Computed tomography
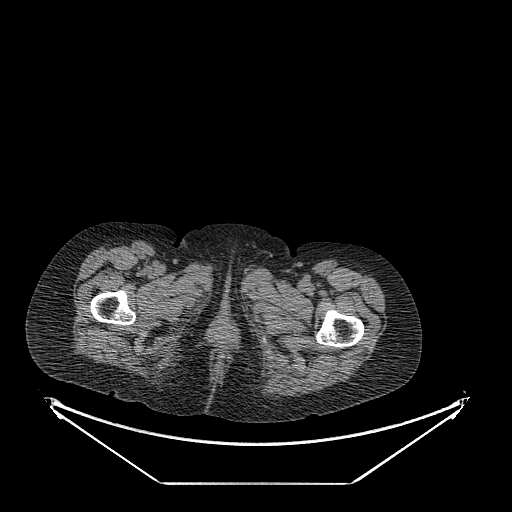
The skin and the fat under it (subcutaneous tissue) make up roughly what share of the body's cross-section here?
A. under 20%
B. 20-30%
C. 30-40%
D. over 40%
D. over 40%
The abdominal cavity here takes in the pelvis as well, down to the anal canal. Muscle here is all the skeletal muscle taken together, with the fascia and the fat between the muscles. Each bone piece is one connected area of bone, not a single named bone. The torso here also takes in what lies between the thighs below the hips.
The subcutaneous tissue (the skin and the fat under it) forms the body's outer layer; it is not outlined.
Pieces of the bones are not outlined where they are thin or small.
The left leg is outlined by 312 241; 340 242; 364 246; 382 255; 396 268; 407 284; 418 310; 422 330; 421 358; 419 365; 410 380; 401 387; 385 395; 335 412; 323 415; 315 415; 314 414; 303 419; 280 422; 281 420; 289 247; 293 253; 298 246. The torso is outlined by 223 222; 242 223; 262 228; 271 234; 281 238; 288 245; 281 400; 280 401; 280 420; 279 422; 276 423; 236 422; 224 418; 210 416; 205 414; 179 416; 154 411; 142 403; 179 239; 187 232; 193 229; 198 229; 207 224; 222 223. The muscle appears in 3 outlined pieces: piece 1: 325 258; 355 261; 366 267; 378 280; 385 294; 386 326; 377 341; 377 348; 371 358; 365 362; 361 371; 342 384; 297 398; 264 397; 259 392; 261 361; 234 282; 239 264; 240 262; 261 264; 284 277; 294 277; 301 274; 311 264, around a hole outlined by 329 309; 335 309; 340 313; 343 313; 348 315; 353 315; 362 320; 364 324; 364 333; 362 336; 362 338; 356 344; 348 347; 343 347; 341 348; 334 346; 324 346; 317 342; 315 338; 315 334; 321 325; 322 320; 325 315; 326 311; piece 2: 119 237; 144 238; 156 247; 169 268; 179 269; 201 260; 210 262; 213 268; 209 300; 187 337; 181 354; 169 370; 167 379; 161 385; 103 363; 94 363; 91 359; 73 354; 69 348; 68 333; 75 314; 72 288; 78 268; 94 248, around a hole outlined by 119 289; 123 289; 127 293; 128 304; 130 308; 136 314; 136 317; 134 322; 130 325; 124 325; 123 326; 118 324; 106 323; 105 322; 98 321; 90 312; 89 307; 90 306; 91 299; 93 296; 99 292; 115 291; piece 3: 219 309; 222 309; 224 311; 225 310; 229 311; 236 319; 237 323; 240 327; 239 344; 241 346; 238 348; 238 351; 234 360; 224 372; 221 386; 216 385; 210 379; 209 374; 210 350; 205 342; 204 338; 204 333; 208 322; 218 312 with a hole at 222 316; 226 316; 233 325; 233 327; 235 330; 235 339; 234 340; 234 343; 233 344; 233 348; 232 349; 232 351; 229 357; 219 369; 219 373; 217 371; 214 371; 215 347; 212 341; 210 339; 210 332; 211 331; 211 329; 213 325. The abdominal cavity is outlined by 222 316; 226 316; 233 325; 233 327; 235 330; 235 339; 234 340; 234 343; 233 344; 233 348; 232 349; 232 351; 229 357; 219 369; 219 373; 217 371; 214 371; 215 347; 212 341; 210 339; 210 332; 211 331; 211 329; 213 325. The right leg is outlined by 107 221; 125 221; 161 224; 173 230; 177 237; 179 238; 141 403; 122 401; 115 398; 111 394; 103 394; 72 383; 60 381; 50 377; 35 364; 29 354; 25 340; 24 325; 27 307; 35 286; 47 264; 56 252; 76 233; 94 224. The bones appear in 2 outlined pieces: piece 1: 329 309; 335 309; 340 313; 343 313; 348 315; 353 315; 362 320; 364 324; 364 333; 362 336; 362 338; 356 344; 348 347; 343 347; 341 348; 334 346; 324 346; 317 342; 315 338; 315 334; 321 325; 322 320; 325 315; 326 311; piece 2: 119 289; 123 289; 127 293; 128 304; 130 308; 136 314; 136 317; 134 322; 130 325; 124 325; 123 326; 118 324; 106 323; 105 322; 98 321; 90 312; 89 307; 90 306; 91 299; 93 296; 99 292; 115 291.